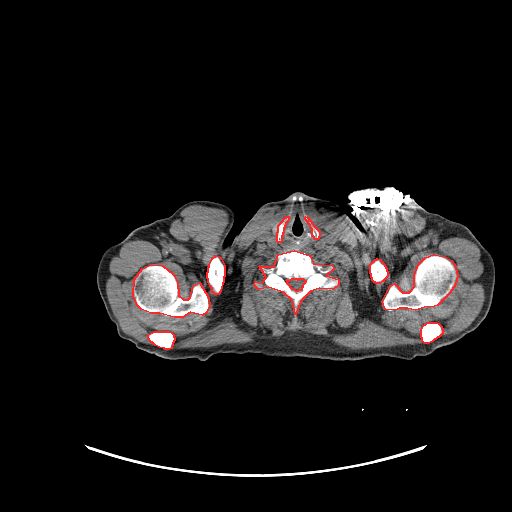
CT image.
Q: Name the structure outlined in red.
A: red: bones.
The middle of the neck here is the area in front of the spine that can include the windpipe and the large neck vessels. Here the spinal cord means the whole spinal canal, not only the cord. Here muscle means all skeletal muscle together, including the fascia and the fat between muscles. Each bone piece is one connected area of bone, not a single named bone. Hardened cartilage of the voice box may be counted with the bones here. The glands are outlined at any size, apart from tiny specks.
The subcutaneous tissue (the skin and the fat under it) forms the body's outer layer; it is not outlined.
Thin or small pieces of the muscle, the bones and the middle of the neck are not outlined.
{"bones":[[[150,264],[162,265],[173,274],[177,282],[178,295],[183,299],[188,299],[190,297],[193,285],[199,282],[208,297],[209,305],[206,312],[202,315],[190,312],[182,317],[174,317],[159,313],[151,313],[141,309],[137,305],[133,295],[134,279],[142,268]],[[433,254],[444,256],[451,260],[454,264],[457,275],[455,284],[449,293],[437,305],[434,306],[424,307],[415,310],[407,308],[399,308],[395,310],[385,309],[382,301],[390,285],[394,283],[402,292],[409,292],[414,286],[414,275],[418,264],[425,257]],{"outer":[[294,250],[309,255],[313,263],[332,265],[333,269],[326,275],[338,279],[338,285],[332,289],[319,288],[310,291],[300,301],[295,314],[292,300],[283,292],[268,287],[258,289],[254,285],[255,281],[262,282],[266,277],[259,266],[274,266],[278,254]],"hole":[[292,278],[296,278],[297,279],[298,279],[299,278],[302,278],[305,280],[305,281],[304,282],[304,283],[302,285],[302,287],[300,290],[298,290],[297,291],[296,291],[295,290],[292,289],[290,287],[290,286],[287,283],[287,281],[286,280],[289,280]]},[[216,255],[220,257],[224,265],[224,276],[223,277],[223,282],[222,283],[220,291],[218,294],[215,294],[213,292],[212,292],[212,288],[210,286],[208,282],[208,279],[207,278],[207,272],[208,271],[208,267],[209,266],[209,264],[212,258]],[[154,331],[169,331],[171,332],[173,334],[173,336],[174,337],[174,340],[172,343],[171,348],[169,349],[165,349],[164,348],[159,347],[155,345],[152,342],[151,342],[148,338],[148,334]],[[428,322],[436,322],[438,323],[441,326],[442,328],[442,330],[443,331],[442,333],[438,337],[437,337],[435,339],[434,339],[432,341],[428,343],[425,343],[422,341],[422,338],[421,337],[421,329],[423,325]],[[377,258],[380,259],[380,260],[384,264],[384,265],[386,268],[386,270],[387,271],[387,276],[383,280],[383,281],[382,281],[379,283],[376,283],[375,282],[374,282],[372,280],[372,278],[371,277],[371,274],[370,273],[370,264],[375,259],[376,259]],[[287,216],[288,216],[289,217],[288,218],[287,221],[285,223],[285,225],[283,228],[283,232],[282,233],[282,235],[281,236],[281,241],[280,242],[278,242],[276,239],[277,238],[277,232],[278,231],[278,225],[283,220],[283,219],[285,217],[286,217]],[[306,216],[307,217],[308,217],[308,218],[311,221],[311,222],[313,224],[313,225],[319,231],[319,236],[317,239],[315,239],[314,238],[314,237],[313,236],[312,236],[312,229],[311,228],[310,225],[308,223],[308,222],[305,219],[305,217]]],"torso":[[[377,186],[401,188],[427,211],[465,225],[494,262],[485,318],[428,355],[330,360],[216,353],[204,361],[166,359],[121,338],[107,314],[96,282],[105,250],[187,202],[209,200],[231,208],[228,245],[260,206],[297,191],[337,204],[362,230],[347,196]]],"middle_of_the_neck":[{"outer":[[296,209],[309,216],[324,231],[333,235],[336,238],[335,242],[333,244],[326,244],[320,249],[312,247],[294,249],[291,247],[274,248],[258,240],[257,237],[261,233],[272,227],[273,232],[277,229],[275,239],[280,243],[284,228],[290,217],[288,215]],"hole":[[306,216],[307,217],[308,217],[308,218],[311,221],[311,222],[313,224],[313,225],[319,231],[319,236],[317,239],[315,239],[314,238],[314,237],[313,236],[312,236],[312,229],[311,228],[310,225],[308,223],[308,222],[305,219],[305,217]]}],"muscle":[{"outer":[[304,199],[345,217],[364,237],[368,230],[359,217],[362,210],[409,207],[442,234],[473,242],[484,265],[480,280],[485,298],[467,327],[440,336],[442,326],[428,321],[420,329],[422,343],[360,350],[303,332],[243,344],[175,348],[172,347],[175,337],[169,330],[149,332],[147,338],[153,344],[141,342],[122,330],[105,286],[110,259],[122,245],[155,234],[188,206],[203,205],[227,213],[219,248],[228,252],[263,210]],"holes":[[[296,209],[336,238],[333,244],[320,249],[297,250],[309,255],[313,263],[332,265],[326,275],[336,277],[338,285],[310,291],[295,314],[292,300],[283,292],[258,289],[254,282],[266,277],[259,266],[274,266],[278,254],[294,250],[271,247],[257,237]],[[150,264],[162,265],[173,274],[177,282],[178,295],[183,299],[188,299],[190,297],[193,285],[199,282],[208,297],[209,305],[206,312],[202,315],[190,312],[182,317],[174,317],[159,313],[151,313],[141,309],[137,305],[133,295],[134,279],[142,268]],[[433,254],[444,256],[451,260],[454,264],[457,275],[455,284],[449,293],[437,305],[434,306],[424,307],[415,310],[407,308],[399,308],[395,310],[385,309],[382,301],[390,285],[394,283],[402,292],[409,292],[414,286],[414,275],[418,264],[425,257]],[[237,274],[238,274],[238,276],[240,280],[240,287],[238,292],[238,296],[237,297],[237,302],[236,303],[235,311],[230,317],[220,320],[219,321],[215,321],[214,322],[215,315],[217,312],[217,310],[220,303],[220,300],[222,296],[222,293],[227,283]],[[216,255],[220,257],[224,265],[224,276],[223,277],[223,282],[222,283],[220,291],[218,294],[215,294],[213,292],[212,292],[212,288],[210,286],[208,282],[208,279],[207,278],[207,272],[208,271],[208,267],[209,266],[209,264],[212,258]],[[353,282],[355,288],[369,302],[370,302],[371,303],[375,303],[376,304],[378,304],[378,310],[379,311],[379,314],[375,318],[368,315],[366,313],[365,313],[360,308],[360,307],[356,300],[356,297],[355,296],[355,292],[354,291],[354,286],[353,285]],[[377,258],[380,259],[380,260],[384,264],[384,265],[386,268],[386,270],[387,271],[387,276],[383,280],[383,281],[382,281],[379,283],[376,283],[375,282],[374,282],[372,280],[372,278],[371,277],[371,274],[370,273],[370,264],[375,259],[376,259]]]}],"spinal_cord":[[[292,278],[296,278],[297,279],[298,279],[299,278],[302,278],[305,280],[305,281],[304,282],[304,283],[302,285],[302,287],[300,290],[298,290],[297,291],[296,291],[295,290],[292,289],[290,287],[290,286],[287,283],[287,281],[286,280],[289,280]]],"thyroid_glands":[[[275,224],[276,224],[277,224],[277,225],[277,226],[277,227],[277,228],[276,229],[275,230],[275,231],[274,231],[273,231],[273,230],[273,229],[273,228],[273,227],[273,226],[274,225]]]}